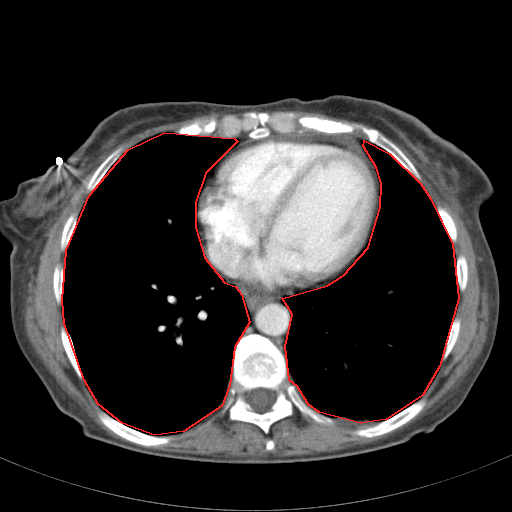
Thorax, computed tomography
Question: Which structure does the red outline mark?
Answer: red: thoracic cavity.
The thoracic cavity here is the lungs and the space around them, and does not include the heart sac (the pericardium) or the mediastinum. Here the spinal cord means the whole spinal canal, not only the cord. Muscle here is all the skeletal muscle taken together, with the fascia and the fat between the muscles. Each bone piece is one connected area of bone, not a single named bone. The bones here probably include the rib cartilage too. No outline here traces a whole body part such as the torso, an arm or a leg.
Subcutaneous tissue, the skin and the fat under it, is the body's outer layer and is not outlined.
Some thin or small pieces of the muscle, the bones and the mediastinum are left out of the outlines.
Outlined structures:
thoracic cavity 1: [[164,132],[234,138],[237,141],[205,173],[195,202],[195,227],[204,257],[224,282],[235,286],[241,294],[249,322],[234,347],[229,385],[221,406],[183,431],[154,435],[122,423],[98,404],[84,380],[64,323],[62,300],[66,250],[89,195],[128,149]]
thoracic cavity 2: [[364,140],[389,153],[420,183],[430,198],[452,244],[458,298],[439,366],[422,395],[386,419],[360,423],[319,412],[308,404],[297,386],[289,380],[285,346],[292,314],[282,298],[327,285],[343,275],[368,247],[380,207],[381,183],[376,167],[363,146]]
mediastinum 1: [[225,280],[235,284],[240,288],[258,292],[283,292],[290,294],[298,290],[308,290],[292,295],[284,295],[281,298],[281,301],[287,306],[291,314],[291,322],[285,340],[284,354],[264,335],[255,332],[243,334],[250,322],[250,315],[242,294],[239,291],[235,285],[231,283],[226,283]]
mediastinum 2: [[304,130],[312,130],[326,134],[349,134],[352,136],[359,137],[364,139],[362,141],[362,146],[365,151],[357,143],[333,137],[324,137],[319,135],[306,135],[305,136],[304,135],[270,135],[272,132],[276,132],[281,134],[290,134],[296,132],[300,134]]
mediastinum 3: [[244,134],[246,134],[249,138],[255,140],[245,141],[242,143],[240,143],[239,145],[228,151],[217,163],[211,173],[205,179],[205,181],[201,187],[206,173],[208,170],[210,169],[214,162],[222,154],[234,147],[238,143],[238,141],[235,137],[241,136]]
mediastinum 4: [[379,189],[379,207],[378,208],[377,212],[376,221],[367,247],[361,256],[343,274],[321,287],[318,288],[314,288],[317,288],[318,287],[321,286],[322,284],[339,276],[340,274],[345,271],[346,269],[356,260],[368,243],[368,240],[370,237],[372,228],[376,219],[376,214],[378,210],[378,204],[379,203]]
bones 1: [[251,333],[268,338],[282,352],[287,366],[288,380],[296,386],[308,405],[319,413],[332,418],[332,424],[316,422],[302,415],[294,407],[292,415],[272,423],[266,434],[253,423],[230,420],[227,412],[224,414],[219,412],[230,385],[235,347],[243,335]]; inner edge: [[255,388],[266,388],[267,389],[270,389],[274,392],[275,394],[275,399],[274,400],[274,402],[270,407],[270,409],[269,410],[264,412],[257,412],[253,410],[251,405],[247,401],[247,399],[246,398],[247,397],[247,394],[248,392],[252,389],[254,389]]
bones 2: [[247,111],[270,114],[291,111],[298,116],[374,128],[411,161],[421,181],[359,129],[350,133],[305,128],[300,133],[272,131],[257,139],[244,131],[230,138],[219,137],[216,131],[211,135],[177,133],[180,127],[195,121],[206,122],[227,114],[240,117]]
bones 3: [[422,397],[424,397],[426,400],[425,405],[423,408],[415,416],[397,428],[386,433],[384,433],[377,436],[374,436],[373,437],[360,436],[359,435],[355,435],[352,433],[354,430],[365,428],[368,426],[372,426],[378,422],[386,420],[392,417]]
bones 4: [[100,410],[105,412],[117,421],[132,429],[142,432],[145,434],[153,435],[154,436],[168,436],[170,437],[170,440],[165,444],[159,444],[158,445],[152,445],[151,446],[143,446],[142,445],[131,442],[108,428],[99,419],[98,417],[98,412]]
bones 5: [[120,146],[123,146],[126,149],[126,150],[107,170],[107,171],[104,174],[104,175],[101,178],[101,179],[98,182],[95,187],[91,191],[91,192],[90,193],[87,193],[86,192],[86,183],[89,180],[95,170],[98,167],[98,166],[114,150],[115,150]]
bones 6: [[62,325],[64,325],[65,326],[71,338],[71,340],[73,344],[73,347],[75,351],[75,354],[77,358],[77,361],[79,365],[79,368],[81,371],[83,379],[80,379],[78,377],[66,354],[65,349],[61,340],[61,335],[60,334],[60,330]]
bones 7: [[437,205],[440,205],[445,208],[450,214],[454,221],[455,227],[456,228],[456,232],[457,233],[457,236],[456,237],[456,241],[455,243],[452,243],[450,238],[448,236],[446,231],[444,229],[442,225],[442,223],[439,218],[439,216],[436,209],[436,206]]
bones 8: [[456,316],[460,319],[460,328],[459,329],[458,336],[449,354],[444,360],[442,360],[442,356],[443,355],[443,353],[444,352],[444,349],[445,348],[445,342],[446,341],[447,334],[450,328],[450,326],[454,318]]
bones 9: [[73,212],[77,212],[78,213],[77,220],[75,224],[75,227],[74,228],[73,233],[66,247],[66,249],[64,251],[62,251],[60,249],[60,244],[61,243],[61,236],[62,235],[62,231],[63,230],[63,227],[67,219]]
bones 10: [[59,263],[60,264],[62,264],[63,265],[63,294],[62,295],[62,299],[61,300],[61,304],[58,304],[57,303],[57,302],[56,301],[56,298],[55,297],[55,294],[54,293],[54,289],[53,288],[53,273],[54,272],[54,269],[55,268],[56,265]]
bones 11: [[461,254],[462,254],[465,257],[465,258],[466,259],[466,262],[467,263],[467,281],[466,282],[466,286],[465,287],[464,290],[462,292],[460,292],[459,291],[459,288],[458,287],[458,283],[457,282],[457,275],[456,274],[456,258],[459,255],[460,255]]
spinal cord: [[255,388],[266,388],[267,389],[270,389],[274,392],[275,394],[275,399],[274,400],[274,402],[270,407],[270,409],[269,410],[264,412],[257,412],[253,410],[251,405],[247,401],[247,399],[246,398],[247,397],[247,394],[248,392],[252,389],[254,389]]
muscle 1: [[398,146],[442,190],[464,222],[475,254],[480,259],[477,260],[480,283],[482,285],[486,280],[489,294],[489,326],[482,351],[451,395],[408,426],[385,438],[332,451],[242,457],[181,453],[145,447],[167,444],[171,440],[168,435],[193,427],[219,408],[218,412],[221,415],[227,413],[230,421],[253,424],[266,435],[272,424],[292,416],[295,408],[302,416],[323,425],[332,425],[333,418],[360,424],[375,423],[351,432],[355,436],[366,438],[397,429],[424,408],[427,400],[422,396],[459,336],[461,319],[455,314],[459,292],[462,293],[467,286],[468,263],[462,253],[455,255],[453,244],[457,241],[458,233],[453,217],[442,205],[435,206],[420,182],[421,174]] with a hole at [[268,438],[269,438],[270,439],[271,439],[274,442],[274,447],[271,450],[267,450],[266,449],[266,440]]
muscle 2: [[212,112],[243,112],[240,116],[227,113],[206,121],[195,120],[175,131],[146,137],[127,149],[123,145],[114,149],[85,183],[89,194],[79,213],[73,211],[62,227],[59,249],[65,251],[64,262],[57,263],[52,273],[53,293],[61,305],[64,324],[60,326],[60,340],[77,377],[101,408],[98,419],[125,441],[108,434],[82,411],[34,352],[24,325],[27,285],[31,274],[37,272],[50,227],[105,154],[147,128]]
pericardium: [[270,136],[319,136],[357,144],[371,160],[379,184],[375,219],[367,243],[355,260],[339,275],[321,285],[308,289],[298,289],[290,293],[283,291],[258,291],[240,287],[224,279],[204,255],[196,222],[198,194],[206,179],[222,158],[240,144],[261,140]]